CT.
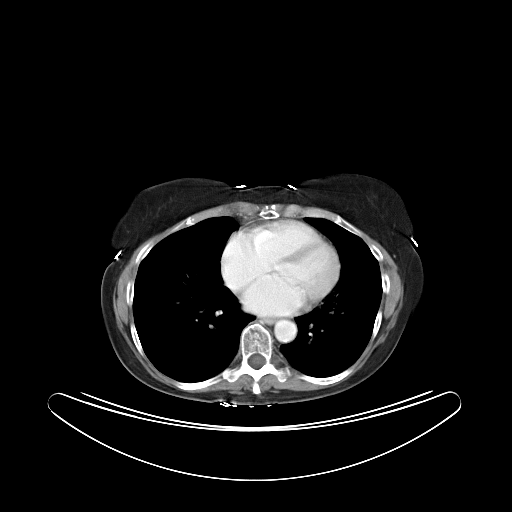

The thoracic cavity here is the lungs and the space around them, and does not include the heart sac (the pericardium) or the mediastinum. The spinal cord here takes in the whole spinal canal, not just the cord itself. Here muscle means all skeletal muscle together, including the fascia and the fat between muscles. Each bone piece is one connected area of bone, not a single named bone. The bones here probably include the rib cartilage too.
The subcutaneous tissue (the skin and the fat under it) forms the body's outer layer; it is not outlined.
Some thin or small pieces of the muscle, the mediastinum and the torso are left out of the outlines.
Outlines:
pericardium: 257 220; 303 221; 321 232; 331 241; 338 254; 340 262; 340 273; 338 281; 333 290; 325 298; 321 305; 299 315; 277 317; 259 316; 245 311; 234 294; 224 285; 221 275; 220 260; 230 234; 235 231; 240 224; 242 226; 249 222
bones 1: 255 322; 272 337; 275 365; 290 366; 292 373; 285 381; 280 382; 275 375; 267 373; 258 381; 258 394; 252 392; 253 378; 246 373; 233 382; 221 379; 193 390; 182 390; 174 385; 173 380; 203 381; 230 366; 239 350; 243 329; inner edge: 254 354; 259 354; 260 355; 261 355; 264 358; 264 359; 265 360; 265 361; 264 362; 264 363; 260 367; 259 367; 258 368; 254 368; 252 366; 251 366; 249 364; 249 363; 248 362; 248 359; 252 355; 253 355
bones 2: 244 204; 259 208; 265 204; 277 204; 282 208; 289 204; 296 204; 303 209; 320 209; 338 214; 356 227; 361 235; 352 233; 329 219; 304 217; 299 213; 295 216; 282 215; 263 219; 257 215; 256 211; 253 215; 241 211; 239 207
bones 3: 219 207; 227 210; 228 211; 226 214; 224 214; 223 215; 218 215; 217 216; 211 216; 210 217; 202 219; 192 225; 184 227; 169 234; 169 232; 176 225; 188 216; 199 214; 202 212; 204 212; 208 210; 211 210; 215 208; 218 208
bones 4: 353 364; 355 365; 353 371; 351 373; 341 380; 331 384; 316 384; 315 383; 312 383; 306 381; 297 377; 297 375; 301 373; 309 376; 317 377; 318 378; 319 377; 321 378; 322 377; 323 378; 324 377; 328 377; 340 373
bones 5: 132 322; 134 323; 134 325; 135 326; 135 328; 136 329; 136 331; 137 332; 137 334; 138 335; 138 337; 139 338; 142 349; 145 354; 145 356; 143 356; 140 354; 136 346; 134 344; 134 342; 132 339; 131 333; 130 332; 130 324
bones 6: 149 241; 153 241; 154 242; 154 245; 152 247; 152 248; 148 252; 148 253; 145 256; 145 257; 139 263; 139 264; 138 265; 137 265; 135 263; 135 260; 136 259; 136 257; 137 256; 139 251; 141 249; 141 248; 147 242; 148 242
bones 7: 130 280; 134 280; 134 285; 133 286; 133 301; 132 302; 132 305; 131 306; 129 306; 128 305; 128 304; 127 303; 127 302; 126 301; 126 287; 127 286; 127 283; 128 282; 128 281; 129 281
bones 8: 379 308; 381 310; 381 323; 380 324; 379 329; 377 332; 377 334; 375 336; 375 337; 372 340; 371 340; 370 339; 371 338; 371 336; 372 335; 373 326; 374 325; 375 318; 376 317; 376 315; 377 314; 377 312; 378 311
bones 9: 381 272; 385 272; 388 275; 388 276; 389 277; 389 283; 390 284; 390 285; 389 286; 389 292; 388 293; 383 293; 383 291; 382 290; 382 280; 381 279
bones 10: 370 243; 371 244; 374 244; 379 249; 379 250; 381 252; 381 253; 383 256; 383 259; 381 261; 378 261; 376 259; 376 258; 373 255; 373 254; 371 252; 371 251; 370 250; 370 249; 368 246; 368 244; 369 244
mediastinum: 254 315; 256 315; 259 317; 271 317; 272 318; 297 316; 294 319; 297 326; 297 334; 296 337; 291 342; 281 344; 278 348; 278 351; 275 351; 274 344; 273 343; 274 340; 270 331; 259 322; 255 321; 249 323; 255 319; 256 317
muscle 1: 360 230; 376 240; 387 251; 397 266; 397 271; 403 284; 403 302; 394 327; 389 332; 386 339; 374 350; 364 365; 345 380; 321 389; 305 391; 281 389; 277 393; 271 391; 265 391; 261 393; 259 381; 263 376; 271 374; 275 376; 280 383; 283 383; 287 380; 288 377; 292 375; 293 372; 291 367; 300 372; 296 375; 297 378; 312 384; 331 385; 341 381; 354 371; 356 365; 354 363; 361 355; 369 341; 372 341; 378 334; 382 323; 382 310; 379 307; 382 294; 388 294; 390 292; 390 277; 385 271; 381 271; 380 269; 379 262; 381 262; 384 259; 382 252; 374 243; 370 242; 367 244; 361 237; 362 232
muscle 2: 178 222; 158 242; 149 240; 140 248; 134 260; 138 266; 135 277; 128 280; 125 287; 125 301; 132 308; 129 332; 133 344; 141 356; 146 356; 156 369; 173 379; 175 388; 152 377; 134 356; 116 324; 113 291; 133 252; 146 240
muscle 3: 244 374; 246 374; 252 378; 251 392; 247 391; 242 394; 234 394; 230 393; 226 390; 216 390; 208 392; 191 392; 187 391; 193 391; 194 390; 206 388; 218 383; 221 380; 225 380; 230 383; 233 383; 240 376
muscle 4: 234 201; 243 201; 244 202; 250 202; 255 204; 264 204; 261 207; 259 207; 254 204; 250 204; 249 203; 244 203; 240 205; 238 207; 238 209; 241 212; 244 212; 247 215; 228 215; 227 213; 229 211; 227 209; 220 206; 218 207; 215 207; 211 209; 208 209; 207 210; 202 211; 199 213; 193 214; 197 213; 200 211; 208 209; 209 208; 212 208; 222 204; 225 204; 226 203; 229 203
muscle 5: 277 355; 278 356; 279 355; 280 356; 281 356; 286 361; 286 362; 287 363; 285 363; 283 365; 282 365; 281 366; 277 366; 276 365; 276 364; 274 362; 274 359; 276 357; 276 356
spinal cord: 254 354; 259 354; 260 355; 261 355; 264 358; 264 359; 265 360; 265 361; 264 362; 264 363; 260 367; 259 367; 258 368; 254 368; 252 366; 251 366; 249 364; 249 363; 248 362; 248 359; 252 355; 253 355
thoracic cavity 1: 224 215; 230 216; 238 226; 229 234; 220 255; 220 275; 223 285; 233 294; 243 311; 255 317; 242 329; 238 350; 230 365; 200 381; 180 381; 156 368; 143 349; 133 316; 132 306; 135 278; 140 263; 153 247; 168 235; 202 220
thoracic cavity 2: 305 217; 329 220; 360 237; 378 262; 380 270; 382 293; 367 344; 351 365; 340 372; 323 377; 301 372; 276 353; 281 345; 291 343; 297 337; 296 317; 320 308; 326 298; 332 293; 340 278; 341 262; 336 247; 326 235; 305 221
torso: 338 172; 369 175; 399 192; 415 227; 413 245; 424 273; 419 308; 369 384; 302 402; 233 406; 157 391; 122 366; 106 333; 100 288; 103 273; 117 254; 109 248; 111 232; 135 193; 183 176; 211 177; 236 188; 295 187; 302 180